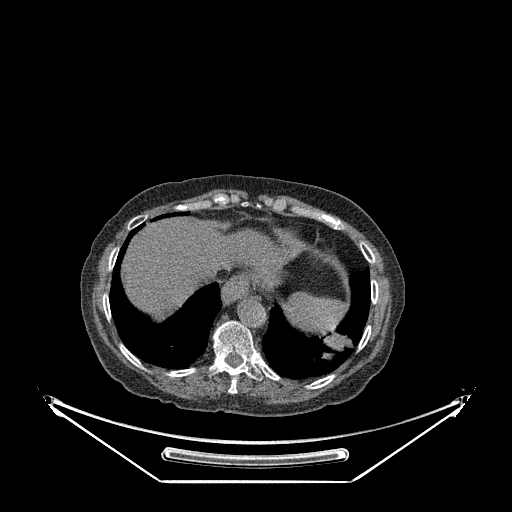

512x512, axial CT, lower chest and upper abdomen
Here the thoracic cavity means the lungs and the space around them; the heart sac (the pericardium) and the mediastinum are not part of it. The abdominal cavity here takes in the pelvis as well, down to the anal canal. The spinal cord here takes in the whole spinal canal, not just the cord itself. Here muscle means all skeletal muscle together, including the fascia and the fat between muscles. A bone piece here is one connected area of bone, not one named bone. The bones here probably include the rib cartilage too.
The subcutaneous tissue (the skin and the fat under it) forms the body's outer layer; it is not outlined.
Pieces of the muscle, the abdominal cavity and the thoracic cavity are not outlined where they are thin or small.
mediastinum 1: 238,276 242,276 253,280 270,290 275,297 273,307 269,311 267,328 262,336 261,350 257,349 254,345 254,336 252,331 243,323 235,319 228,319 221,322 213,329 211,333 214,319 222,306 219,284 224,284
mediastinum 2: 235,205 243,208 267,209 284,215 305,217 321,222 333,230 343,232 357,246 366,265 350,274 342,261 332,254 337,249 336,240 333,235 325,228 305,221 254,216 242,209 222,213 203,213 196,211 222,209
muscle 1: 341,219 374,245 389,277 391,314 380,352 340,383 302,402 265,404 236,394 239,375 243,373 256,381 265,377 280,382 284,378 308,382 303,386 307,390 319,389 337,376 332,372 354,351 358,354 366,346 372,333 372,325 367,323 370,304 375,305 379,298 379,283 370,277 368,264 375,265 377,260 366,241 360,239 356,244 344,232 347,226
muscle 2: 128,219 125,227 128,232 123,242 109,251 106,269 111,273 110,290 105,290 100,297 105,318 109,324 113,322 120,338 115,343 116,346 140,370 149,374 152,372 143,362 166,369 162,374 170,378 196,373 198,368 195,366 210,352 207,376 211,378 226,373 230,377 226,391 228,395 199,401 165,392 122,363 98,334 91,304 98,261 107,244
muscle 3: 218,188 240,189 246,191 250,196 256,196 259,194 267,194 271,196 273,195 287,195 325,211 316,210 315,209 314,210 310,208 293,204 289,206 288,209 295,215 284,214 281,213 281,212 288,208 288,203 284,198 267,197 263,200 262,203 256,202 253,207 252,207 251,203 248,200 241,199 240,196 236,193 229,194 225,192 217,192 214,193 209,198 200,199 185,203 177,203 172,207 173,211 161,213 149,218 149,214 147,212 138,213 141,211 149,209 158,205 162,205 171,201 193,197 210,190
spinal cord: 231,353 235,353 236,354 237,354 242,359 242,361 241,362 241,363 240,363 237,366 236,366 235,367 233,367 232,366 231,366 226,361 226,357 229,354 230,354
bones 1: 228,320 235,320 251,331 254,347 259,350 266,363 282,377 280,381 265,376 261,380 256,380 243,372 238,375 237,393 230,394 227,391 231,384 231,377 226,372 208,376 207,366 212,358 211,335 218,325, around a hole outlined by 231,353 235,353 236,354 237,354 242,359 242,361 241,362 241,363 240,363 237,366 236,366 235,367 233,367 232,366 231,366 226,361 226,357 229,354 230,354
bones 2: 217,193 225,193 229,195 236,194 241,200 248,201 250,203 250,206 243,207 238,203 230,203 227,207 219,208 218,205 214,205 209,209 200,209 195,211 175,211 173,209 173,207 177,204 185,204 209,199
bones 3: 293,205 299,206 307,209 310,209 314,211 315,210 316,211 325,212 332,216 337,217 345,224 346,229 343,231 336,230 333,229 327,224 321,221 318,221 315,219 306,217 305,216 296,215 289,209 289,207
bones 4: 120,341 121,341 122,343 136,357 137,357 146,367 147,367 151,371 150,373 148,372 146,372 140,369 138,367 134,365 125,357 125,356 120,351 116,343
bones 5: 267,198 271,198 272,199 284,199 287,203 287,208 286,208 284,210 280,212 276,212 274,211 269,206 267,206 264,204 262,206 262,208 260,209 255,208 254,206 256,204 256,203 260,203 262,204 264,200
bones 6: 330,373 335,373 336,374 336,376 329,383 326,384 324,386 322,386 316,389 307,389 305,388 304,386 306,384 308,383 310,383 312,381 315,381 317,379 321,377 323,377
bones 7: 360,240 363,240 365,242 366,242 366,243 372,250 372,251 375,256 375,259 376,260 376,262 375,263 375,264 369,264 364,258 364,257 363,256 363,255 362,254 360,249 358,247 358,246 357,245
bones 8: 192,366 194,366 196,367 197,368 197,371 194,373 192,373 191,374 189,374 185,376 180,376 179,377 170,377 169,376 166,376 163,374 163,372 166,370 170,370 171,369 184,369 185,368 188,368
bones 9: 366,324 370,324 371,325 371,333 369,336 369,338 368,339 368,340 367,341 365,346 358,353 355,353 355,349 356,348 356,347 357,346 357,345 358,344 358,343 363,334 363,332 364,331 364,328 365,327
bones 10: 142,213 147,213 148,214 148,218 145,221 144,221 142,223 139,224 136,227 135,227 131,230 128,231 127,230 126,227 127,226 127,224 130,220 130,219 135,215 136,215 137,214 141,214
bones 11: 105,291 108,292 108,296 109,297 109,306 110,307 110,310 111,311 111,317 112,318 112,322 111,323 109,323 108,322 106,318 106,316 104,313 104,310 102,305 102,300 101,299 101,297 102,296 102,294
bones 12: 117,245 119,245 120,246 120,248 119,249 119,251 118,252 118,254 117,255 117,257 116,258 115,264 113,267 113,269 111,272 109,272 107,269 108,268 108,257 109,256 109,254 110,253 111,249 113,247
bones 13: 371,278 373,278 374,279 375,279 377,281 377,282 378,283 378,298 377,299 377,302 375,304 374,304 373,305 372,304 371,304 371,289 370,288 370,279
torso: 224,173 302,182 342,194 359,205 374,220 391,244 405,282 405,304 387,362 355,397 307,413 279,417 187,410 126,390 110,377 100,364 87,335 80,307 80,274 95,236 124,203 146,188 163,182
abdominal cavity: 242,210 250,216 265,217 270,233 281,245 306,242 341,261 350,275 351,302 333,332 325,337 308,337 292,329 275,303 273,292 242,275 204,285 159,323 130,303 120,278 121,263 144,222 187,216 190,212
thoracic cavity 1: 143,223 143,226 131,237 119,269 123,292 129,303 138,312 152,323 159,324 172,316 204,286 212,283 219,285 221,306 210,329 211,352 195,365 167,369 142,361 123,343 114,324 109,296 112,272 128,233
thoracic cavity 2: 366,264 370,278 370,303 362,334 351,354 331,372 310,382 290,380 281,376 267,363 260,351 263,346 263,336 268,328 270,311 274,305 279,306 292,330 308,338 325,338 335,331 350,309 351,274 363,269
pericardium: 269,218 276,218 282,220 295,220 308,223 315,227 323,228 328,231 334,238 336,244 336,249 331,253 321,246 308,243 306,241 304,242 303,241 302,242 294,241 287,244 281,244 273,236 269,229 267,219